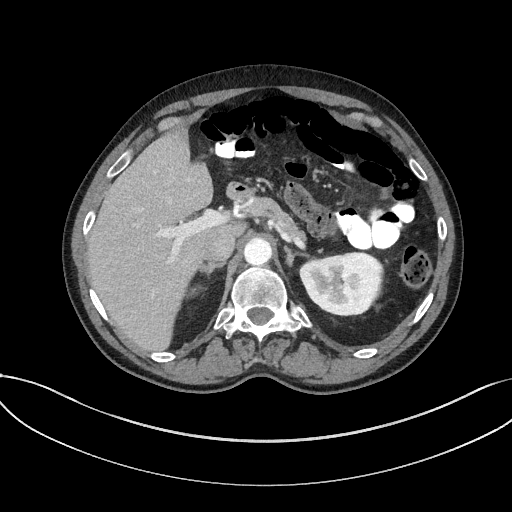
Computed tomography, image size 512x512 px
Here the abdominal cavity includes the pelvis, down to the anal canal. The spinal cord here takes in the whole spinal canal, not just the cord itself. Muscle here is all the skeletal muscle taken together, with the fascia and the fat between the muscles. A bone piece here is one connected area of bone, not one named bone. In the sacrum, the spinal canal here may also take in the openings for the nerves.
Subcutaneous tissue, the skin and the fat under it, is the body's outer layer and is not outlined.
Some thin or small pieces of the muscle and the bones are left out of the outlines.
The torso is outlined by 311 394; 339 393; 383 380; 414 361; 437 336; 456 303; 463 271; 463 227; 454 192; 401 110; 357 81; 276 63; 233 66; 189 78; 138 108; 78 186; 66 215; 61 245; 69 299; 105 357; 156 385; 213 393; 250 378; 268 377. The abdominal cavity is outlined by 150 352; 179 351; 207 331; 235 277; 250 266; 275 270; 289 299; 330 339; 370 346; 385 338; 428 291; 437 253; 431 201; 403 154; 379 134; 336 119; 321 102; 270 88; 208 107; 157 134; 112 179; 86 248; 93 288; 108 316. The muscle is outlined by 188 384; 220 383; 226 380; 231 379; 243 372; 245 372; 254 364; 265 364; 273 368; 278 372; 283 373; 305 383; 315 383; 316 384; 341 383; 360 378; 373 372; 390 359; 393 358; 409 346; 412 345; 424 334; 432 324; 440 312; 444 304; 447 294; 448 280; 449 279; 448 270; 452 261; 452 257; 454 251; 454 241; 455 240; 453 221; 451 217; 451 214; 444 192; 442 189; 442 185; 439 181; 439 179; 437 177; 432 166; 411 137; 397 123; 388 117; 384 112; 382 112; 369 104; 366 104; 358 99; 316 88; 302 87; 301 86; 292 86; 291 85; 260 85; 259 86; 252 86; 251 87; 223 89; 222 90; 217 90; 216 91; 207 92; 195 96; 192 96; 187 99; 179 100; 164 106; 161 109; 141 122; 105 158; 97 170; 90 185; 86 191; 86 193; 77 212; 72 230; 71 253; 77 270; 79 290; 83 305; 89 318; 97 331; 112 347; 144 369; 146 369; 155 374; 157 374; 170 380; 173 380; 182 383; 187 383 with holes at 159 362; 174 359; 174 351; 210 327; 222 327; 227 339; 249 331; 260 343; 271 332; 295 337; 314 324; 336 342; 366 346; 355 357; 374 355; 371 345; 416 307; 409 323; 416 323; 433 298; 437 239; 446 238; 447 227; 435 217; 424 170; 379 134; 336 119; 325 104; 277 89; 238 95; 176 125; 179 117; 162 119; 160 133; 134 155; 125 150; 108 169; 112 181; 82 228; 94 306 and at 377 127; 379 127; 382 125; 382 122; 381 121; 381 120; 380 120; 378 118; 377 118; 376 117; 374 117; 373 116; 371 116; 370 115; 366 115; 365 116; 366 117; 366 118; 368 120; 368 121; 372 125; 374 125 and at 263 363; 264 363; 264 361; 262 359; 261 359; 260 358; 257 358; 256 357; 255 358; 254 358; 252 360; 252 361; 253 362; 257 362; 258 361; 259 361; 260 362; 262 362. The spinal cord is outlined by 259 325; 260 325; 261 324; 263 324; 264 323; 265 323; 272 316; 272 312; 271 311; 270 311; 268 309; 267 309; 266 308; 253 308; 252 309; 250 309; 248 311; 248 316; 249 317; 249 318; 254 323; 255 323; 256 324; 258 324. The bones appear in 11 outlined pieces: piece 1: 259 343; 265 335; 271 332; 287 331; 295 337; 302 326; 312 327; 313 324; 305 312; 288 299; 284 282; 275 271; 269 268; 250 267; 236 277; 232 285; 230 300; 218 313; 212 328; 222 327; 227 339; 238 330; 249 331; 256 336, around a hole outlined by 259 325; 260 325; 261 324; 263 324; 264 323; 265 323; 272 316; 272 312; 271 311; 270 311; 268 309; 267 309; 266 308; 253 308; 252 309; 250 309; 248 311; 248 316; 249 317; 249 318; 254 323; 255 323; 256 324; 258 324; piece 2: 110 179; 112 178; 115 175; 119 173; 119 172; 121 171; 121 170; 123 169; 123 168; 125 167; 129 163; 133 155; 132 154; 132 149; 129 148; 125 150; 118 157; 118 158; 111 165; 111 166; 108 169; 106 173; 106 177; piece 3: 409 325; 411 325; 412 324; 414 324; 416 323; 421 318; 421 317; 427 310; 433 298; 433 292; 431 290; 430 290; 427 293; 427 294; 425 296; 425 297; 423 299; 421 303; 418 306; 416 310; 415 315; 412 319; 412 320; 409 323; piece 4: 110 324; 112 324; 111 321; 107 316; 107 315; 105 312; 105 310; 104 309; 101 302; 99 300; 97 295; 95 293; 94 290; 91 287; 89 289; 89 294; 90 295; 90 298; 91 299; 94 306; 99 312; 99 313; 101 315; 101 316; piece 5: 422 181; 426 181; 428 179; 426 173; 424 171; 424 170; 421 167; 421 166; 411 156; 408 157; 407 158; 407 159; 408 160; 408 165; 409 166; 410 169; 414 173; 414 174; 418 178; 419 178; piece 6: 159 362; 166 362; 167 361; 169 361; 170 360; 172 360; 173 359; 174 359; 176 357; 176 356; 175 355; 175 354; 174 353; 171 353; 170 352; 151 352; 149 354; 149 356; 152 359; 153 359; 154 360; 155 360; 156 361; 158 361; piece 7: 441 241; 443 241; 446 238; 446 236; 447 235; 447 227; 446 226; 446 224; 445 223; 445 221; 444 220; 444 219; 442 217; 442 216; 439 215; 438 216; 437 216; 437 217; 436 218; 436 224; 437 225; 437 232; 438 233; 438 237; piece 8: 85 237; 87 236; 87 234; 91 227; 91 225; 95 217; 95 210; 94 209; 91 209; 88 211; 88 212; 85 216; 85 218; 83 222; 83 227; 82 228; 82 231; piece 9: 358 358; 366 358; 367 357; 370 357; 371 356; 374 355; 378 351; 378 350; 377 349; 377 348; 376 348; 375 347; 367 347; 366 348; 363 348; 362 349; 359 349; 358 350; 355 351; 352 354; 355 357; 357 357; piece 10: 159 130; 161 130; 162 129; 164 129; 165 128; 166 128; 167 127; 168 127; 170 125; 171 125; 173 123; 174 123; 176 121; 177 121; 179 119; 179 117; 167 117; 166 118; 164 118; 163 119; 162 119; 157 124; 157 128; piece 11: 377 127; 379 127; 382 125; 382 122; 381 121; 381 120; 380 120; 378 118; 377 118; 376 117; 374 117; 373 116; 371 116; 370 115; 366 115; 365 116; 366 117; 366 118; 368 120; 368 121; 372 125; 374 125.